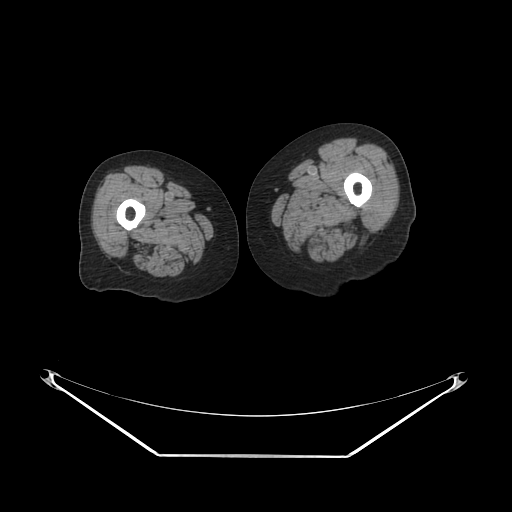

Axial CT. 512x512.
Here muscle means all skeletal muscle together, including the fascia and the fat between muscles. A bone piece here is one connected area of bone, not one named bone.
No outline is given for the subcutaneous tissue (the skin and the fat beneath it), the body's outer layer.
{"left_leg":[[[336,122],[356,122],[369,125],[383,132],[395,143],[408,170],[416,213],[405,249],[395,262],[370,278],[350,281],[340,293],[333,297],[318,297],[285,289],[260,269],[252,257],[246,241],[245,209],[248,193],[255,176],[275,153],[303,133],[322,125]]],"right_leg":[[[136,149],[153,149],[166,152],[193,164],[211,177],[225,194],[237,220],[239,257],[232,277],[217,291],[199,299],[170,303],[121,290],[98,292],[86,288],[81,283],[78,274],[80,252],[78,211],[84,186],[93,170],[103,160],[113,155]]],"muscle":[{"outer":[[336,137],[355,137],[365,139],[381,146],[389,153],[399,182],[399,203],[393,217],[385,228],[370,245],[360,253],[335,267],[322,269],[306,269],[281,249],[277,237],[269,225],[269,213],[277,196],[277,193],[289,172],[299,162],[316,150],[320,145]],"hole":[[355,171],[357,171],[363,174],[365,176],[366,176],[371,181],[371,183],[372,184],[372,194],[370,198],[361,207],[357,207],[353,205],[351,203],[350,203],[343,189],[343,182],[344,181],[344,179],[349,174]]},{"outer":[[134,163],[152,163],[168,169],[179,181],[207,204],[215,219],[216,236],[214,241],[200,267],[194,276],[189,279],[174,282],[158,282],[140,278],[133,274],[127,274],[106,259],[97,244],[91,231],[89,212],[94,200],[99,179],[101,175],[110,168]],"hole":[[126,199],[134,199],[137,201],[139,201],[145,206],[145,215],[143,217],[143,218],[142,218],[137,223],[136,225],[136,227],[130,230],[126,230],[124,228],[123,228],[117,222],[116,220],[116,209],[119,205],[119,204],[122,201]]}],"bones":[[[355,171],[357,171],[363,174],[365,176],[366,176],[371,181],[371,183],[372,184],[372,194],[370,198],[361,207],[357,207],[353,205],[351,203],[350,203],[343,189],[343,182],[344,181],[344,179],[349,174]],[[126,199],[134,199],[137,201],[139,201],[145,206],[145,215],[143,217],[143,218],[142,218],[137,223],[136,225],[136,227],[130,230],[126,230],[124,228],[123,228],[117,222],[116,220],[116,209],[119,205],[119,204],[122,201]]]}